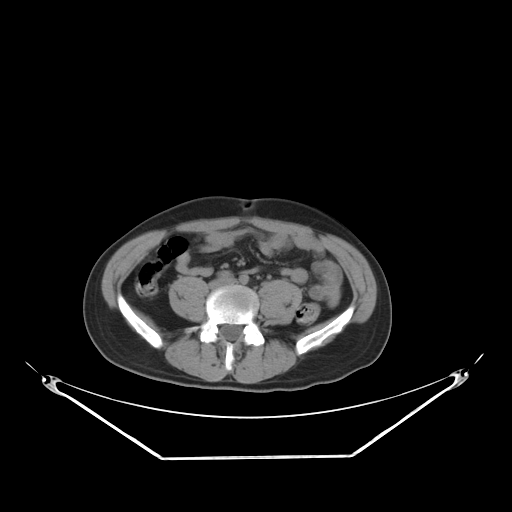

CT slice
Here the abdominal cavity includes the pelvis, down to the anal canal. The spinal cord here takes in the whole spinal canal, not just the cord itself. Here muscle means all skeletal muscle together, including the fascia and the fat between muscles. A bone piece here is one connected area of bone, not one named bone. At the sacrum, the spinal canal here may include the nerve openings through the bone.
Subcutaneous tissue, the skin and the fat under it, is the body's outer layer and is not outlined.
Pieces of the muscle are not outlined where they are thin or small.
{"torso":[[[209,194],[244,198],[278,196],[299,200],[328,213],[352,231],[377,259],[390,290],[392,325],[380,356],[369,366],[334,382],[300,390],[270,392],[182,386],[138,375],[105,359],[89,338],[82,316],[84,286],[93,264],[110,244],[142,220],[186,199]]],"abdominal_cavity":[[[240,224],[296,234],[333,254],[352,293],[337,315],[298,333],[278,329],[292,321],[302,301],[302,289],[282,278],[262,282],[257,293],[237,283],[210,291],[200,277],[180,276],[169,285],[169,305],[194,324],[175,330],[123,295],[126,278],[161,242]]],"muscle":[[[278,279],[301,289],[301,301],[291,321],[275,327],[281,332],[298,334],[336,316],[295,341],[296,355],[306,353],[299,363],[280,375],[256,383],[241,383],[230,375],[219,381],[183,375],[156,349],[164,343],[161,335],[131,306],[167,331],[183,329],[190,334],[198,330],[202,343],[220,340],[225,346],[224,367],[231,371],[234,348],[238,343],[245,346],[264,344],[265,337],[255,320],[260,307],[258,291],[262,283]],[[230,216],[258,216],[294,222],[328,232],[353,245],[367,260],[375,278],[377,287],[376,303],[371,315],[363,323],[351,323],[342,331],[350,321],[356,307],[351,303],[352,289],[337,257],[314,241],[296,233],[269,231],[250,223],[240,223],[213,231],[178,232],[161,241],[131,270],[123,281],[121,285],[122,293],[118,292],[116,294],[119,312],[111,309],[103,297],[101,281],[109,259],[124,243],[145,232],[179,222]],[[180,277],[195,277],[196,278],[200,278],[207,283],[209,286],[208,287],[209,288],[209,293],[205,298],[205,302],[204,303],[206,319],[199,324],[195,324],[193,322],[178,315],[172,309],[170,305],[169,297],[168,296],[168,292],[170,285],[175,280]],[[334,334],[338,334],[334,338],[333,340],[332,340],[327,344],[315,350],[312,350],[311,351],[309,351],[307,352],[314,347],[319,347],[321,346],[324,340],[325,340],[329,336],[331,335],[333,335]],[[123,317],[126,320],[126,321],[129,324],[129,325],[134,330],[134,331],[133,330],[132,330],[129,327],[129,326],[125,322],[125,321],[124,320],[124,319],[123,318]]],"bones":[{"outer":[[231,284],[246,286],[256,292],[259,307],[254,320],[264,342],[261,345],[245,345],[242,341],[238,342],[233,348],[232,369],[227,370],[226,346],[220,339],[215,342],[202,342],[198,329],[190,333],[184,329],[199,325],[207,319],[205,303],[212,290]],"hole":[[224,324],[229,324],[230,325],[241,325],[242,326],[242,329],[241,330],[241,335],[239,337],[238,337],[237,339],[233,341],[230,341],[224,338],[224,337],[221,334],[220,334],[220,332],[219,331],[219,326],[220,325],[223,325]]},[[351,304],[355,307],[354,311],[349,321],[342,328],[340,332],[329,335],[322,341],[321,345],[319,346],[314,346],[306,352],[300,355],[297,355],[295,351],[295,343],[298,339],[305,335],[307,335],[314,331],[316,331],[322,328],[334,319]],[[118,293],[121,293],[133,311],[141,319],[142,319],[150,327],[151,327],[160,335],[163,343],[161,347],[159,348],[155,348],[148,343],[147,341],[146,341],[135,331],[135,330],[130,325],[127,320],[122,315],[119,310],[118,304],[117,303],[117,294]]],"spinal_cord":[[[224,324],[229,324],[230,325],[241,325],[242,326],[242,329],[241,330],[241,335],[239,337],[238,337],[237,339],[233,341],[230,341],[224,338],[224,337],[221,334],[220,334],[220,332],[219,331],[219,326],[220,325],[223,325]]]}